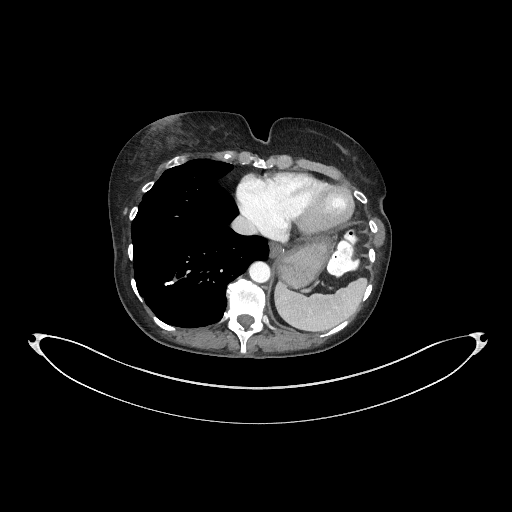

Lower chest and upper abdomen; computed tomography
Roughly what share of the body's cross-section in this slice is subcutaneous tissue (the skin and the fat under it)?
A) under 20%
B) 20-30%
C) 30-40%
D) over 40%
Answer: B) 20-30%
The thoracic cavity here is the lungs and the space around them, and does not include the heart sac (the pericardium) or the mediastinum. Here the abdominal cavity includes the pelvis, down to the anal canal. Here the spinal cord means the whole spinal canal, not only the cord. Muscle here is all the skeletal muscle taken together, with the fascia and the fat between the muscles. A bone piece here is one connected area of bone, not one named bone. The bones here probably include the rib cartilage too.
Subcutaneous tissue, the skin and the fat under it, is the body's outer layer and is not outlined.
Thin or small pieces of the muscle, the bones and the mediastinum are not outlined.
The bones appear in 9 outlined pieces: piece 1: 243,354 246,352 246,341 253,333 261,331 265,325 272,330 275,330 276,328 264,312 266,304 265,293 251,281 239,276 227,286 227,308 218,322 221,323 225,321 228,328 238,336 241,345 240,352, around a hole outlined by 245,328 248,328 248,327 249,326 249,325 253,321 253,318 251,316 250,316 249,315 247,315 246,314 244,314 243,315 240,315 238,317 238,321; piece 2: 334,179 338,178 338,173 328,166 303,158 294,159 289,155 264,158 246,151 235,152 231,150 216,154 216,158 223,161 229,162 230,160 236,159 241,164 251,164 258,168 290,168 292,166 297,166 323,173; piece 3: 166,169 167,168 169,168 170,167 172,167 173,166 175,166 176,165 179,165 180,164 187,161 189,159 189,158 186,155 178,155 177,156 175,156 174,157 173,157 171,159 168,160 166,162 166,163 164,166; piece 4: 320,337 323,337 324,336 328,336 341,330 348,324 348,322 349,321 348,320 349,318 346,318 345,320 344,320 342,322 338,324 337,326 332,328 330,330 328,330 326,332 324,332 320,334 319,335; piece 5: 170,331 173,331 175,330 175,327 174,326 172,326 171,325 169,325 165,323 163,321 159,319 155,315 153,315 152,318 154,322 156,324 157,324 160,327 164,329 169,330; piece 6: 363,204 365,204 367,202 367,198 365,196 365,195 361,191 360,191 359,190 354,190 352,192 352,194 354,196 354,197 355,198 356,198 361,203 362,203; piece 7: 141,302 144,302 143,301 143,299 142,297 139,294 137,290 136,285 135,284 135,280 134,278 132,277 130,279 130,283 131,284 131,286 136,296; piece 8: 362,301 364,301 368,297 368,296 370,294 370,293 371,292 371,290 372,289 372,284 371,283 368,283 367,284 367,285 366,286 366,287 365,288 365,289 364,290 364,294 363,295 363,296 362,297; piece 9: 144,193 145,192 146,192 148,190 149,190 150,189 150,188 153,185 153,184 154,183 154,181 153,180 150,180 149,181 148,181 147,182 146,182 142,186 142,187 141,188 141,191 142,192 143,192. The mediastinum appears in 4 outlined pieces: piece 1: 266,295 272,270 272,261 279,253 284,251 291,245 310,236 303,237 294,241 288,241 286,243 280,243 266,238 269,246 269,254 267,259 264,261 260,260 254,261 250,264 248,268 241,275 261,287 266,293; piece 2: 234,199 236,185 237,184 238,179 242,175 245,174 250,170 253,170 254,169 265,169 258,169 253,167 251,165 241,165 236,163 232,163 234,166 233,168 224,176 220,178 218,180 218,182 233,196; piece 3: 262,236 263,236 262,234 253,225 253,224 251,222 245,219 244,217 239,213 239,214 230,224 230,226 232,228 232,229 233,229 234,231 240,234 243,234 244,235 251,235 252,234 256,234 257,235 261,235; piece 4: 353,219 356,219 357,218 362,218 363,219 367,219 365,217 365,216 364,215 364,214 363,213 363,211 362,210 362,209 361,208 361,204 360,204 359,203 359,202 359,210 358,211 358,213 356,215 356,216. The pericardium is outlined by 280,242 294,240 322,231 324,229 337,225 340,222 351,220 357,213 358,201 353,197 347,187 327,176 317,174 308,170 266,169 248,172 239,179 237,185 235,201 238,206 239,212 245,218 251,221 264,236. The muscle appears in 5 outlined pieces: piece 1: 238,354 242,354 239,352 239,340 227,328 225,322 195,328 176,327 175,331 170,332 153,322 151,318 153,313 137,299 132,291 129,279 133,276 133,267 126,250 128,243 131,241 131,222 128,219 128,212 133,205 138,205 141,200 143,193 140,188 126,211 123,221 123,252 121,258 122,283 137,311 157,332 172,341 203,349 225,347 227,350; piece 2: 245,354 250,354 259,350 263,352 282,352 289,350 306,349 322,344 333,335 320,338 318,336 319,334 304,334 279,328 271,321 277,329 275,331 272,331 265,326 261,332 253,334 247,341 247,352; piece 3: 348,325 355,319 358,313 368,301 369,298 371,297 373,290 375,288 383,253 382,248 385,241 384,225 382,221 371,212 369,208 368,200 368,202 365,205 362,204 362,208 368,220 372,218 378,226 378,231 375,234 372,233 373,245 371,247 373,247 376,252 376,259 373,263 374,276 371,282 373,284 373,289 369,297 360,304 356,312 350,318; piece 4: 351,191 352,191 354,189 359,189 353,183 352,183 336,167 335,167 332,165 327,165 328,165 330,167 335,169 339,173 339,178 337,180 336,180 340,183 342,183 344,185 347,186 350,189 350,190; piece 5: 155,181 159,177 159,176 161,174 161,173 165,169 163,166 164,165 164,164 166,161 165,161 164,162 161,163 157,167 157,168 156,169 156,170 154,172 154,173 153,174 152,177 150,179 153,179. The abdominal cavity is outlined by 304,333 321,333 330,329 346,317 350,317 361,303 363,290 366,284 372,280 373,276 372,264 367,258 367,251 372,245 371,232 367,220 357,219 346,221 313,234 279,254 273,261 266,305 271,320 279,327. The spinal cord is outlined by 245,328 248,328 248,327 249,326 249,325 253,321 253,318 251,316 250,316 249,315 247,315 246,314 244,314 243,315 240,315 238,317 238,321. The torso is outlined by 242,359 319,353 345,341 365,323 381,294 391,255 392,230 383,209 385,183 372,157 354,138 318,120 280,117 262,140 239,113 193,110 166,115 127,140 110,172 107,205 117,294 134,323 158,343 190,353. The thoracic cavity is outlined by 183,327 203,326 218,321 226,308 227,284 254,260 264,260 268,254 265,238 240,235 229,226 238,209 232,196 217,182 232,168 228,162 197,158 165,170 144,194 132,221 133,266 138,290 154,314 169,324.